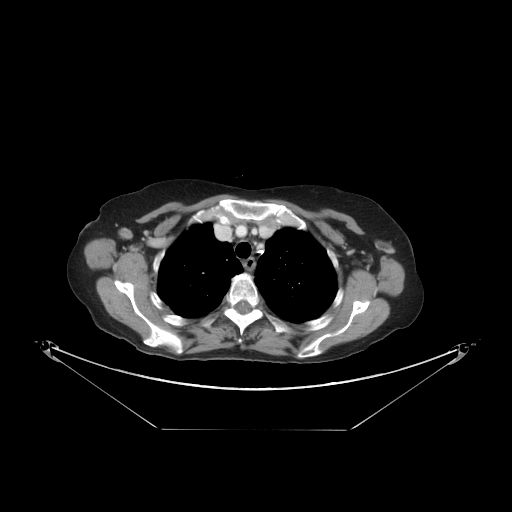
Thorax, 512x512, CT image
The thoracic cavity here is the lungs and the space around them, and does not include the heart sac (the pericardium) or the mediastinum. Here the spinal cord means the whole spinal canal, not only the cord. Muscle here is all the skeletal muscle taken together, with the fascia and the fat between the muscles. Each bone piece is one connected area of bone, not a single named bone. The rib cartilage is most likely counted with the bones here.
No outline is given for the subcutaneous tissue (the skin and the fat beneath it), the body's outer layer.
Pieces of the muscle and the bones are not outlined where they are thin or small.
Outlines:
mediastinum: [[214,219],[216,219],[221,224],[230,223],[233,220],[238,219],[256,222],[267,221],[276,228],[283,227],[276,230],[266,240],[264,251],[257,260],[253,276],[243,271],[242,265],[234,254],[232,245],[227,241],[220,241],[216,238],[211,222]]
thoracic cavity 1: [[284,227],[290,227],[304,232],[308,231],[325,249],[326,254],[336,272],[337,289],[331,304],[318,317],[309,319],[303,322],[293,322],[284,320],[272,313],[267,308],[264,299],[260,294],[254,281],[255,270],[258,260],[265,251],[267,240],[276,231]]
thoracic cavity 2: [[206,222],[211,223],[213,234],[218,241],[227,242],[231,245],[233,254],[241,265],[242,271],[236,273],[231,277],[229,287],[217,308],[203,316],[185,317],[174,313],[157,293],[158,272],[166,250],[172,243],[190,226],[194,224],[203,224]]
torso: [[172,178],[200,178],[248,189],[317,183],[373,199],[401,226],[411,242],[416,270],[424,288],[420,313],[409,326],[394,331],[366,350],[330,362],[172,361],[137,351],[127,341],[104,332],[93,323],[68,284],[66,262],[80,230],[98,215],[104,202]]
bones 1: [[227,198],[258,200],[266,203],[282,204],[305,221],[307,230],[299,230],[290,226],[276,227],[267,220],[256,221],[238,218],[225,223],[221,223],[214,218],[203,223],[194,223],[188,227],[188,220],[193,214],[199,210],[207,209],[217,204],[221,199]]
bones 2: [[242,272],[245,272],[253,277],[253,281],[257,290],[263,299],[265,309],[272,315],[283,320],[291,328],[290,332],[275,331],[268,320],[263,317],[249,324],[244,329],[241,335],[237,325],[220,312],[223,298],[230,287],[232,277]], around a hole outlined by [[243,300],[244,301],[246,301],[249,304],[249,305],[251,307],[251,309],[248,312],[247,312],[246,313],[240,313],[235,308],[235,305],[238,302],[239,302],[240,301],[242,301]]
bones 3: [[116,279],[123,282],[130,282],[133,285],[135,303],[138,309],[151,322],[176,334],[180,338],[183,348],[180,354],[176,354],[173,348],[168,345],[152,347],[142,342],[142,340],[150,334],[150,328],[145,321],[135,313],[130,299],[118,290],[114,283]]
bones 4: [[355,300],[369,300],[367,308],[363,312],[356,314],[352,318],[348,327],[343,332],[323,339],[319,344],[319,347],[323,350],[322,353],[304,358],[298,358],[296,356],[302,347],[313,340],[326,333],[331,333],[341,328],[347,322],[352,311],[353,302]]
bones 5: [[324,313],[326,313],[332,316],[332,319],[331,321],[326,326],[322,328],[317,329],[316,330],[307,330],[306,329],[306,326],[304,324],[304,322],[306,321],[308,321],[309,320],[312,320],[313,319],[318,318]]
bones 6: [[171,313],[173,313],[174,314],[176,314],[177,315],[179,315],[180,316],[182,316],[185,318],[187,318],[187,323],[182,326],[176,326],[175,325],[172,325],[171,324],[170,324],[169,323],[164,321],[163,320],[162,317],[165,314],[170,314]]
bones 7: [[163,248],[165,249],[165,253],[162,259],[160,261],[160,263],[159,264],[159,267],[158,268],[158,271],[157,272],[157,275],[156,275],[153,270],[153,267],[152,266],[152,264],[153,263],[153,260],[156,254]]
bones 8: [[151,291],[155,291],[156,292],[156,293],[158,295],[158,296],[162,300],[162,301],[164,303],[163,304],[163,308],[162,309],[159,309],[157,307],[156,307],[153,304],[153,303],[152,302],[152,301],[151,300],[151,299],[150,298],[150,292]]
bones 9: [[339,287],[341,287],[343,289],[343,296],[342,297],[342,299],[341,300],[340,303],[337,306],[336,306],[335,307],[332,307],[332,306],[331,305],[332,304],[332,302],[333,301],[333,300],[334,299],[334,298],[336,295],[336,293],[337,292],[337,290]]
bones 10: [[326,248],[329,248],[335,254],[335,255],[337,258],[337,260],[338,261],[338,270],[337,271],[336,271],[336,270],[334,268],[334,267],[332,264],[332,262],[331,261],[331,260],[329,258],[329,257],[327,254],[327,252],[326,251]]
bones 11: [[208,316],[209,317],[212,317],[213,316],[215,316],[216,317],[215,318],[215,320],[214,321],[214,322],[208,328],[206,328],[205,327],[203,327],[200,324],[200,321],[203,318],[204,318],[205,317],[207,317]]
muscle: [[218,194],[244,198],[221,198],[199,209],[188,218],[187,228],[153,257],[151,266],[157,284],[149,298],[159,310],[165,304],[172,311],[161,317],[164,322],[182,327],[188,318],[203,317],[220,306],[219,312],[236,325],[241,336],[249,325],[263,318],[277,333],[292,331],[285,321],[303,323],[307,331],[322,329],[332,321],[333,316],[325,312],[330,306],[337,307],[344,296],[344,289],[338,287],[336,254],[314,237],[303,218],[282,203],[259,200],[267,198],[283,199],[312,211],[330,208],[351,216],[365,233],[346,234],[353,251],[342,260],[349,270],[368,265],[383,255],[401,263],[404,287],[389,316],[369,334],[325,352],[321,342],[343,333],[353,318],[368,308],[369,299],[355,299],[341,327],[302,346],[296,357],[241,349],[238,345],[181,354],[184,351],[181,338],[151,321],[136,303],[134,285],[116,278],[115,287],[129,299],[134,313],[149,328],[149,334],[141,340],[135,331],[105,310],[85,261],[85,244],[94,238],[107,237],[115,240],[120,250],[143,235],[135,219],[171,201],[191,204]]; inner edge: [[208,316],[209,317],[212,317],[213,316],[215,316],[216,317],[215,318],[215,320],[214,321],[214,322],[208,328],[206,328],[205,327],[203,327],[200,324],[200,321],[203,318],[204,318],[205,317],[207,317]]
spinal cord: [[243,300],[244,301],[246,301],[249,304],[249,305],[251,307],[251,309],[248,312],[247,312],[246,313],[240,313],[235,308],[235,305],[238,302],[239,302],[240,301],[242,301]]